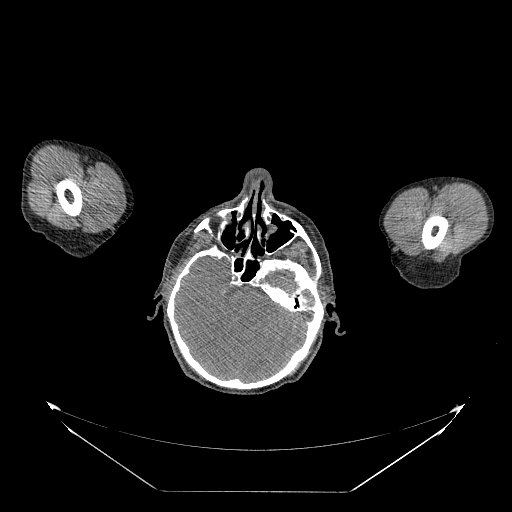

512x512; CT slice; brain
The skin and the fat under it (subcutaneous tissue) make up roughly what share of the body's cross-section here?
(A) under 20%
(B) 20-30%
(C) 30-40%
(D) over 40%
(B) 20-30%
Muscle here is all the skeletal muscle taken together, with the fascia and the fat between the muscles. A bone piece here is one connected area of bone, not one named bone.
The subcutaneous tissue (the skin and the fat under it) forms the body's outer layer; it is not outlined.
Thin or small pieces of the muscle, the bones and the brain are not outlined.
{"head":[{"outer":[[253,167],[267,169],[274,197],[305,213],[320,231],[333,272],[338,330],[345,332],[336,334],[334,321],[325,324],[320,347],[297,381],[263,394],[234,395],[186,376],[172,352],[162,310],[147,316],[160,299],[153,296],[175,237],[199,214],[233,198]],"holes":[[[273,216],[277,216],[277,217],[282,222],[289,222],[291,225],[291,227],[288,229],[288,231],[291,234],[291,236],[275,249],[271,251],[269,251],[267,249],[267,242],[268,241],[268,239],[270,235],[275,232],[278,229],[278,227],[272,222]],[[234,212],[235,212],[235,218],[234,219],[236,224],[234,229],[234,236],[235,237],[234,244],[238,245],[247,241],[244,253],[242,253],[243,252],[242,247],[240,247],[238,249],[229,248],[222,240],[222,235],[226,227],[233,222],[233,215],[232,214]],[[248,261],[255,261],[256,262],[257,262],[257,268],[253,272],[253,273],[251,275],[246,275],[247,274],[247,262]],[[253,232],[254,232],[253,233],[255,236],[255,238],[256,239],[257,243],[261,247],[262,249],[262,253],[261,254],[259,253],[255,256],[252,252],[252,249],[253,248],[253,245],[254,244],[254,241],[255,240],[255,237],[254,236],[252,236]],[[259,197],[259,198],[260,199],[260,205],[261,206],[261,208],[259,211],[259,217],[261,219],[261,220],[262,221],[262,223],[265,226],[265,231],[263,233],[262,232],[262,225],[260,223],[259,223],[257,221],[257,211],[258,210],[258,200],[259,199]],[[250,201],[251,202],[250,203],[250,210],[249,211],[249,217],[248,217],[245,220],[244,220],[243,221],[243,222],[240,225],[239,225],[240,222],[244,218],[244,217],[245,216],[245,212],[246,211],[246,208],[247,207],[247,206],[248,205],[248,204]],[[238,259],[239,259],[240,259],[241,259],[241,260],[241,261],[241,262],[241,263],[241,264],[241,265],[241,266],[240,267],[239,268],[238,268],[237,267],[236,267],[236,266],[236,265],[236,264],[236,263],[236,262],[236,261],[237,260]]]}],"brain":[[[207,256],[227,261],[229,286],[248,285],[259,288],[284,309],[292,313],[301,312],[310,315],[304,321],[305,332],[302,343],[273,373],[247,381],[236,376],[221,377],[209,371],[192,354],[176,319],[175,299],[182,279],[190,272],[192,265],[199,258]],[[282,271],[288,271],[292,273],[293,275],[292,277],[292,280],[296,285],[296,286],[294,288],[291,288],[290,289],[286,289],[278,284],[273,284],[271,283],[271,282],[268,279],[267,279],[267,277],[270,274],[272,273],[274,273],[275,272],[281,272]]],"muscle":[{"outer":[[48,144],[61,145],[80,153],[100,159],[114,169],[123,183],[127,203],[125,211],[111,228],[99,233],[85,233],[80,230],[65,230],[50,224],[45,219],[39,217],[32,212],[28,203],[26,189],[31,177],[30,176],[30,165],[32,157],[37,150]],"hole":[[64,178],[72,178],[74,179],[75,182],[79,186],[81,193],[82,194],[82,207],[81,208],[81,211],[79,214],[76,216],[71,216],[67,214],[63,210],[62,207],[58,201],[58,198],[55,192],[55,188],[54,187],[54,185],[60,180]]},{"outer":[[452,181],[459,181],[471,184],[482,194],[487,206],[489,217],[488,225],[485,232],[480,238],[470,246],[443,263],[422,263],[415,258],[405,255],[395,242],[392,241],[384,227],[383,223],[384,216],[391,203],[397,195],[409,188],[418,185],[439,184]],"hole":[[433,213],[438,213],[439,214],[441,214],[442,215],[445,216],[448,220],[448,227],[447,228],[446,233],[445,234],[441,243],[437,247],[436,247],[433,249],[425,249],[421,242],[421,233],[422,232],[423,225],[424,224],[426,219],[431,214],[432,214]]},[[194,226],[192,230],[193,234],[196,234],[204,230],[208,236],[213,240],[213,242],[210,246],[196,251],[184,264],[175,278],[166,302],[166,307],[164,295],[165,282],[169,275],[169,271],[176,253],[183,240],[188,235],[187,234],[188,232]],[[298,237],[302,239],[305,242],[311,252],[311,254],[312,255],[312,259],[314,264],[314,273],[313,275],[311,275],[307,269],[299,262],[295,260],[293,260],[289,257],[284,257],[283,258],[282,257],[278,257],[276,256],[282,250],[287,247]],[[291,216],[305,222],[310,227],[318,242],[318,245],[322,253],[322,256],[325,263],[325,268],[327,271],[327,283],[328,284],[328,292],[327,294],[328,296],[325,303],[322,302],[318,291],[318,280],[322,274],[322,263],[320,257],[305,228],[299,221]]],"bones":[{"outer":[[252,187],[259,188],[263,191],[266,201],[272,207],[295,219],[307,233],[321,263],[321,274],[317,280],[317,291],[321,302],[324,304],[324,313],[316,338],[309,348],[309,353],[295,369],[285,377],[269,385],[251,389],[237,389],[223,387],[205,379],[185,361],[174,339],[166,308],[176,278],[185,264],[196,252],[210,247],[214,242],[214,240],[204,229],[193,233],[197,224],[206,216],[212,215],[220,209],[236,206]],"holes":[[[207,256],[227,261],[229,286],[248,285],[259,288],[284,309],[292,313],[301,312],[310,315],[304,321],[305,332],[302,343],[273,373],[247,381],[236,376],[221,377],[209,371],[192,354],[176,319],[175,299],[182,279],[190,272],[192,265],[199,258]],[[298,237],[302,239],[305,242],[311,252],[311,254],[312,255],[312,259],[314,264],[314,273],[313,275],[311,275],[307,269],[299,262],[295,260],[293,260],[289,257],[284,257],[283,258],[282,257],[278,257],[276,256],[282,250],[287,247]],[[273,216],[277,216],[277,217],[282,222],[289,222],[291,225],[291,227],[288,229],[288,231],[291,234],[291,236],[275,249],[271,251],[269,251],[267,249],[267,242],[268,241],[268,239],[270,235],[275,232],[278,229],[278,227],[272,222]],[[234,212],[235,212],[235,218],[234,219],[236,224],[234,229],[234,236],[235,237],[234,244],[238,245],[247,241],[244,253],[242,253],[243,252],[242,247],[240,247],[238,249],[229,248],[222,240],[222,235],[226,227],[233,222],[233,215],[232,214]],[[282,271],[288,271],[292,273],[293,275],[292,277],[292,280],[296,285],[296,286],[294,288],[291,288],[290,289],[286,289],[278,284],[273,284],[271,283],[271,282],[268,279],[267,279],[267,277],[270,274],[272,273],[274,273],[275,272],[281,272]],[[248,261],[255,261],[256,262],[257,262],[257,268],[253,272],[253,273],[251,275],[246,275],[247,274],[247,262]],[[253,232],[254,232],[253,233],[255,236],[255,238],[256,239],[257,243],[261,247],[262,249],[262,253],[261,254],[259,253],[255,256],[252,252],[252,249],[253,248],[253,245],[254,244],[254,241],[255,240],[255,237],[254,236],[252,236]],[[259,197],[259,198],[260,199],[260,205],[261,206],[261,208],[259,211],[259,217],[261,219],[261,220],[262,221],[262,223],[265,226],[265,231],[263,233],[262,232],[262,225],[260,223],[259,223],[257,221],[257,211],[258,210],[258,200],[259,199]],[[250,201],[251,202],[250,203],[250,210],[249,211],[249,217],[248,217],[245,220],[244,220],[243,221],[243,222],[240,225],[239,225],[240,222],[244,218],[244,217],[245,216],[245,212],[246,211],[246,208],[247,207],[247,206],[248,205],[248,204]],[[238,259],[239,259],[240,259],[241,259],[241,260],[241,261],[241,262],[241,263],[241,264],[241,265],[241,266],[240,267],[239,268],[238,268],[237,267],[236,267],[236,266],[236,265],[236,264],[236,263],[236,262],[236,261],[237,260]],[[214,218],[215,218],[216,218],[217,218],[218,219],[218,220],[217,221],[217,222],[216,223],[216,224],[216,225],[216,226],[215,227],[215,228],[214,228],[213,227],[212,226],[212,225],[212,224],[212,223],[212,222],[212,221],[213,220],[214,219]]]},[[64,178],[72,178],[74,179],[75,182],[79,186],[81,193],[82,194],[82,207],[81,208],[81,211],[79,214],[76,216],[71,216],[67,214],[63,210],[62,207],[58,201],[58,198],[55,192],[55,188],[54,187],[54,185],[60,180]],[[433,213],[438,213],[439,214],[441,214],[442,215],[445,216],[448,220],[448,227],[447,228],[446,233],[445,234],[441,243],[437,247],[436,247],[433,249],[425,249],[421,242],[421,233],[422,232],[423,225],[424,224],[426,219],[431,214],[432,214]]],"right_arm":[[[47,138],[70,140],[89,145],[103,151],[119,165],[133,191],[134,204],[130,216],[118,228],[113,236],[103,243],[92,255],[85,258],[76,258],[64,252],[57,245],[48,241],[42,234],[32,231],[23,218],[21,212],[21,179],[25,157],[36,143]]],"left_arm":[[[442,175],[463,176],[480,184],[486,190],[492,201],[494,208],[494,225],[489,237],[462,258],[460,273],[455,280],[442,288],[420,289],[404,280],[392,265],[390,261],[390,250],[386,239],[379,228],[378,218],[382,207],[393,192],[398,188],[416,180]]]}